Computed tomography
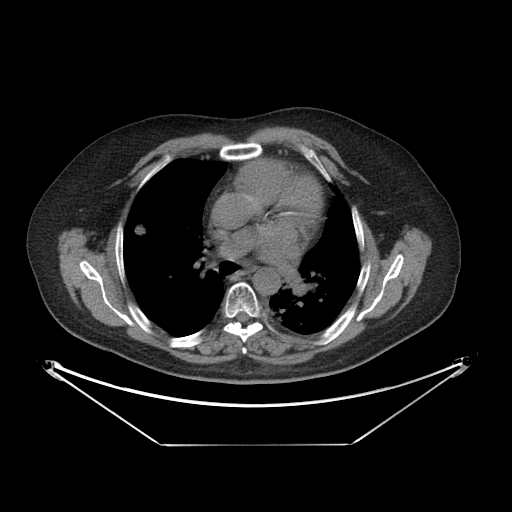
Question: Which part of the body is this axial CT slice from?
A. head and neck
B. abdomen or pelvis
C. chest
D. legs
Answer: C. chest
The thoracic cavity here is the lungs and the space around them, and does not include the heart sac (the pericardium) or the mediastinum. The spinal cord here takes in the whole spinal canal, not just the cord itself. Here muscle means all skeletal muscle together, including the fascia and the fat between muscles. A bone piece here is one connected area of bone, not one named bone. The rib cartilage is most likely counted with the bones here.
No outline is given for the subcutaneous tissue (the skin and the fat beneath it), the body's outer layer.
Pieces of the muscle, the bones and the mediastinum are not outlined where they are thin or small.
Outlines:
torso: 290,106 335,111 392,138 416,158 446,198 458,224 461,268 453,298 439,318 371,360 343,372 285,383 230,384 182,378 140,365 78,339 52,317 29,265 26,231 43,192 81,149 115,128 158,114 244,117
bones 1: 240,281 246,282 253,289 259,303 263,307 267,315 268,321 275,330 273,331 266,326 264,326 262,329 249,336 245,342 243,342 239,336 226,331 223,331 219,323 219,316 224,303 224,297 226,290 234,283; inner edge: 240,312 244,312 245,313 246,313 247,314 247,315 250,318 250,321 249,322 248,322 247,323 244,324 243,323 242,323 241,322 240,322 239,321 236,320 235,319 235,317 237,315 237,314
bones 2: 82,260 87,261 100,275 106,298 108,301 117,310 129,317 131,315 127,306 127,302 132,301 135,303 151,322 152,333 146,332 136,322 132,325 129,325 105,303 99,283 96,280 88,278 80,268 79,263
bones 3: 251,141 259,143 261,145 263,149 263,152 257,157 254,157 253,158 250,158 249,159 244,159 243,160 228,160 226,161 222,159 218,155 221,147 225,144 230,144 231,143 236,143 237,142 250,142
bones 4: 353,303 357,303 357,307 355,311 355,314 345,328 335,338 328,343 326,344 323,344 322,345 315,345 313,344 312,342 316,340 318,338 319,335 325,329 330,326 340,316 340,315 342,314 347,309 347,308
bones 5: 398,254 401,254 403,256 403,262 397,276 394,278 389,279 386,282 381,298 370,311 367,312 360,320 357,321 356,320 356,316 360,312 368,308 378,295 382,286 382,282 384,276 389,269 395,257
bones 6: 120,221 121,221 123,224 123,265 124,266 124,271 125,272 125,277 126,278 125,279 125,283 124,285 120,279 120,276 119,275 119,272 116,263 116,258 115,257 115,236 116,235 116,228 118,222
bones 7: 300,143 302,144 304,144 309,148 311,148 316,153 321,163 323,165 327,173 331,178 332,180 332,182 327,182 320,174 320,173 314,167 314,166 312,165 304,157 304,156 301,153 300,153 297,147 297,145
bones 8: 205,327 205,331 201,335 201,337 202,338 202,341 200,343 196,345 194,345 190,347 171,347 169,346 168,344 168,339 170,337 181,337 182,336 186,336 187,335 192,334
bones 9: 352,204 355,204 356,205 358,209 359,216 362,223 364,245 363,246 363,249 361,251 359,250 359,247 358,246 358,243 357,242 357,239 355,234 355,230 353,225 351,211 350,210 350,208
bones 10: 166,154 171,154 173,155 174,157 174,159 170,161 160,170 159,170 156,173 155,173 140,188 140,189 137,192 136,192 136,188 138,186 138,185 140,183 142,179 145,176 145,175 164,156 164,155
bones 11: 366,261 369,261 370,262 370,271 369,272 369,275 368,276 367,282 363,289 363,291 361,293 361,294 359,295 358,291 356,289 356,284 357,283 357,280 358,279 358,277 360,273 361,266 362,264
pericardium: 260,157 287,157 300,159 312,168 321,178 327,191 327,203 324,214 325,219 321,225 317,238 309,246 299,263 295,266 271,267 238,260 220,250 207,232 206,225 208,219 208,208 216,192 228,182 238,168
spinal cord: 240,312 244,312 245,313 246,313 247,314 247,315 250,318 250,321 249,322 248,322 247,323 244,324 243,323 242,323 241,322 240,322 239,321 236,320 235,319 235,317 237,315 237,314
muscle: 267,126 289,126 301,128 326,140 337,150 342,160 349,168 357,171 363,176 367,182 354,176 351,176 349,178 351,182 349,191 353,196 353,199 358,203 359,210 363,215 376,240 377,246 382,257 391,249 394,243 402,237 401,232 405,225 410,227 417,227 430,237 432,247 431,252 426,261 422,279 413,297 394,317 376,326 370,326 338,347 320,352 311,359 301,363 290,365 274,365 269,363 263,363 244,355 220,363 199,364 187,362 162,349 133,339 125,333 116,330 110,326 107,326 94,319 77,306 71,298 63,282 59,269 58,236 61,232 74,227 80,227 86,232 91,232 86,245 93,250 102,251 103,247 106,244 109,233 115,224 119,212 128,198 130,192 129,188 123,182 112,186 111,185 118,179 125,177 142,156 161,143 176,137 188,136 203,132 212,132 216,134 224,134 236,141 242,141 257,129; inner edges: 251,141 264,150 279,146 298,152 300,143 311,148 348,207 356,205 364,240 359,263 361,266 369,261 370,271 361,294 355,288 345,306 346,310 357,303 355,314 335,338 322,345 312,343 320,332 298,333 269,316 267,319 275,330 264,326 243,342 239,336 223,331 216,315 205,326 200,343 171,347 171,336 155,323 151,323 152,333 148,333 136,322 129,325 114,312 105,303 99,283 88,278 79,263 85,260 98,272 108,301 130,317 127,302 137,302 128,280 124,285 120,279 115,236 118,222 125,225 142,179 166,154 175,159 217,155 225,144, then 398,254 401,254 403,256 403,262 397,276 394,278 389,279 386,282 381,298 370,311 367,312 360,320 357,321 356,320 356,316 360,312 368,308 378,295 382,286 382,282 384,276 389,269 395,257
thoracic cavity 1: 187,157 225,161 227,163 225,171 211,188 204,202 201,216 201,238 206,261 213,272 221,278 225,293 219,315 216,315 204,327 186,335 171,336 153,323 137,304 126,277 124,226 134,198 141,188 170,162
thoracic cavity 2: 326,182 335,184 349,208 359,251 360,269 355,288 347,301 345,310 321,332 303,334 282,326 268,316 268,305 270,298 284,288 290,272 298,269 305,254 316,245 322,235 327,211 332,201 332,192 326,185
mediastinum 1: 254,158 238,167 215,192 207,208 205,228 217,248 238,261 271,268 299,264 297,269 289,272 283,288 269,298 268,314 246,281 234,282 225,289 222,278 207,261 202,238 204,205 212,188 226,171 227,162
mediastinum 2: 274,146 288,148 301,154 319,173 325,181 325,184 322,180 322,178 319,176 316,171 312,167 306,164 304,161 301,160 300,158 288,157 287,156 260,156 258,157 264,152 264,150 266,148 273,147
mediastinum 3: 325,220 324,222 324,224 323,225 323,229 322,230 321,235 318,241 315,244 315,245 314,245 310,249 308,250 310,246 311,246 312,244 313,244 314,242 315,242 318,238 318,236 320,233 320,230